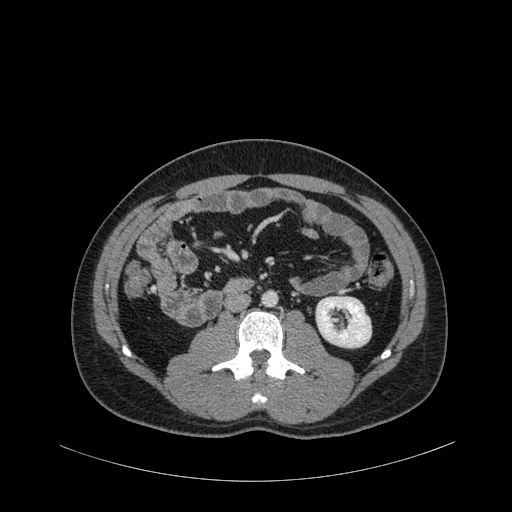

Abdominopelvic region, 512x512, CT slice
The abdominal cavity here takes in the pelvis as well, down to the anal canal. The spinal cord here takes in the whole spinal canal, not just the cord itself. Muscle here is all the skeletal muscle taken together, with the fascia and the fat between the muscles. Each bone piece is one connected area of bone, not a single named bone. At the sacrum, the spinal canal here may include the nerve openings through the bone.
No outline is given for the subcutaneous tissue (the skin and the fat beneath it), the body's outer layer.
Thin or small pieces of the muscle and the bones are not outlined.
{"bones":[{"outer":[[236,380],[253,373],[257,375],[265,373],[278,379],[284,379],[289,369],[301,374],[304,373],[302,367],[286,359],[282,354],[284,335],[280,320],[274,314],[262,310],[255,310],[246,314],[238,325],[238,350],[236,355],[212,366],[212,371],[229,368]],"hole":[[254,365],[264,365],[264,363],[266,361],[266,360],[269,357],[269,353],[266,350],[260,350],[259,351],[258,350],[255,350],[254,351],[253,351],[252,352],[251,352],[250,353],[250,356],[252,358],[252,360],[253,361],[253,364]]},[[254,403],[264,403],[266,401],[266,397],[265,396],[264,396],[263,395],[262,395],[259,392],[256,392],[252,396],[252,401]],[[129,357],[131,357],[132,356],[132,353],[131,352],[131,351],[130,350],[130,349],[127,346],[127,345],[126,344],[123,344],[122,345],[122,352],[126,356],[128,356]],[[381,359],[384,359],[385,358],[386,358],[387,357],[388,357],[391,354],[391,349],[390,348],[386,348],[381,353],[381,354],[380,355],[380,358]]],"abdominal_cavity":[[[161,373],[223,311],[239,323],[255,309],[274,313],[281,323],[289,310],[299,309],[330,354],[361,370],[385,348],[399,322],[401,279],[379,231],[337,196],[259,177],[167,207],[138,235],[118,282],[119,321],[130,348]]],"muscle":[{"outer":[[284,425],[315,422],[330,416],[338,409],[346,406],[369,385],[392,369],[399,362],[406,347],[421,332],[426,313],[426,283],[423,264],[411,237],[397,217],[380,202],[331,181],[304,174],[256,173],[213,176],[172,189],[165,194],[152,197],[139,204],[114,228],[103,247],[95,270],[92,305],[97,332],[114,350],[129,371],[152,385],[168,401],[186,414],[205,419],[228,421],[241,418],[254,411],[263,411],[272,419]],"holes":[[[236,380],[304,373],[282,354],[281,322],[291,309],[356,370],[391,354],[385,347],[399,322],[399,272],[377,228],[339,197],[252,178],[167,207],[135,240],[118,282],[130,346],[122,352],[163,373],[227,311],[238,320],[238,350],[211,369],[229,368]],[[254,403],[264,403],[266,401],[266,397],[265,396],[264,396],[263,395],[262,395],[259,392],[256,392],[252,396],[252,401]],[[411,299],[412,298],[413,298],[413,296],[414,295],[414,284],[413,283],[413,280],[412,279],[410,279],[409,280],[409,297]]]}],"spinal_cord":[[[254,365],[264,365],[264,363],[266,361],[266,360],[269,357],[269,353],[266,350],[260,350],[259,351],[258,350],[255,350],[254,351],[253,351],[252,352],[251,352],[250,353],[250,356],[252,358],[252,360],[253,361],[253,364]]],"torso":[[[298,439],[343,436],[374,427],[407,413],[431,394],[442,373],[448,338],[441,269],[411,215],[387,190],[350,163],[315,147],[271,138],[202,146],[140,180],[92,236],[78,267],[71,300],[76,368],[85,388],[101,406],[134,423],[196,437],[263,430]]]}